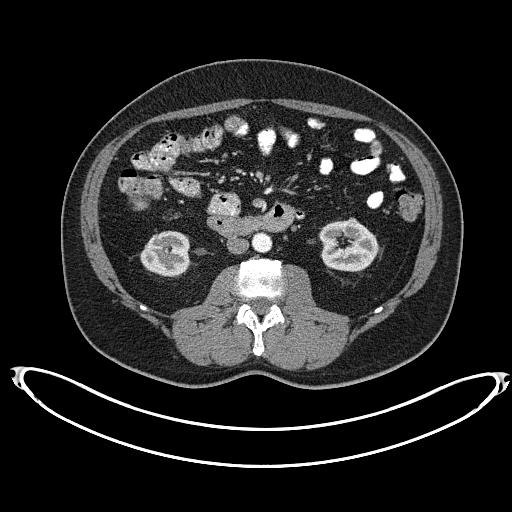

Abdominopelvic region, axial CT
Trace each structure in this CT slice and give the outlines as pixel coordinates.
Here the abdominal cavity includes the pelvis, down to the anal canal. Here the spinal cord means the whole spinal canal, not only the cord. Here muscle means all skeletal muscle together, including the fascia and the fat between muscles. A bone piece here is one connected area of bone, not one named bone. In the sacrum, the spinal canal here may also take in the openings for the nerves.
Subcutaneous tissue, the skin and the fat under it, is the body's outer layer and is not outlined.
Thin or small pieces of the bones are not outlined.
torso: (306, 389) (341, 387) (380, 376) (413, 360) (437, 338) (453, 305) (463, 245) (463, 212) (454, 177) (414, 120) (377, 92) (337, 72) (300, 62) (242, 58) (176, 73) (114, 114) (72, 169) (62, 202) (60, 247) (73, 319) (98, 352) (159, 381) (197, 388) (261, 374)
spinal cord: (257, 314) (264, 314) (265, 313) (266, 313) (269, 310) (269, 307) (272, 303) (272, 302) (270, 300) (269, 300) (265, 297) (257, 297) (256, 298) (254, 298) (253, 299) (250, 299) (248, 301) (248, 303) (250, 305) (252, 310) (255, 313) (256, 313)
bones: (258, 356) (264, 348) (262, 333) (274, 324) (284, 323) (278, 300) (285, 290) (286, 282) (283, 277) (281, 262) (276, 259) (250, 258) (240, 263) (237, 274) (234, 277) (234, 287) (242, 301) (237, 310) (236, 322) (238, 324) (244, 323) (253, 332) (254, 342) (252, 351) with a hole at (257, 314) (264, 314) (265, 313) (266, 313) (269, 310) (269, 307) (272, 303) (272, 302) (270, 300) (269, 300) (265, 297) (257, 297) (256, 298) (254, 298) (253, 299) (250, 299) (248, 301) (248, 303) (250, 305) (252, 310) (255, 313) (256, 313)
muscle: (289, 370) (313, 370) (329, 364) (361, 333) (387, 318) (405, 298) (415, 293) (425, 283) (436, 261) (437, 252) (440, 247) (442, 199) (435, 173) (421, 150) (402, 133) (366, 115) (332, 105) (289, 98) (234, 98) (169, 111) (151, 117) (112, 139) (101, 149) (88, 171) (80, 204) (80, 226) (84, 248) (91, 266) (101, 282) (118, 296) (124, 306) (159, 328) (173, 341) (178, 351) (192, 363) (202, 366) (232, 366) (251, 357) (262, 357) (278, 367), around a hole outlined by (258, 356) (262, 333) (284, 323) (284, 263) (307, 271) (318, 306) (351, 318) (381, 311) (411, 273) (423, 191) (399, 146) (369, 122) (251, 103) (149, 124) (110, 163) (98, 204) (102, 243) (139, 307) (171, 313) (199, 304) (217, 274) (236, 264) (236, 322) (253, 332)
abdominal cavity: (351, 318) (381, 305) (403, 286) (423, 233) (424, 197) (419, 180) (399, 146) (379, 128) (365, 121) (258, 102) (152, 123) (120, 147) (100, 189) (100, 233) (121, 283) (142, 303) (164, 313) (199, 304) (224, 267) (238, 267) (250, 257) (268, 257) (303, 267) (316, 304)